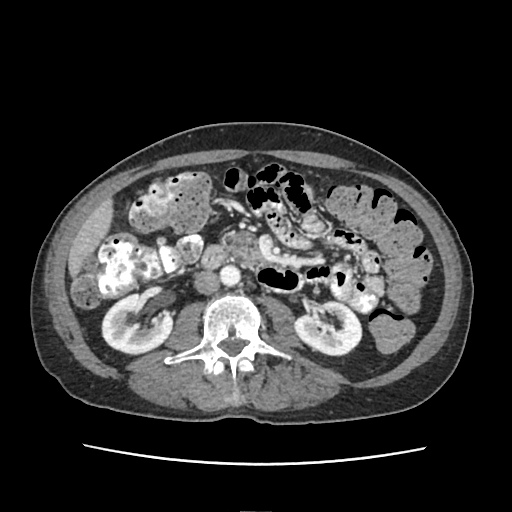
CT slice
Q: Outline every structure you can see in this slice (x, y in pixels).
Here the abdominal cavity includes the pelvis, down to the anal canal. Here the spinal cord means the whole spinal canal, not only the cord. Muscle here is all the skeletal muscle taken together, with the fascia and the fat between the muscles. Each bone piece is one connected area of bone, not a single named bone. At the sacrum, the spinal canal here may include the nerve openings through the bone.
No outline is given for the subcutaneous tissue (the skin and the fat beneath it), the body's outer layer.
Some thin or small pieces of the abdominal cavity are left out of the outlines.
A: The spinal cord is outlined by [[232,356],[237,354],[247,343],[247,341],[245,341],[244,340],[242,340],[241,339],[238,339],[237,338],[236,338],[233,340],[231,340],[229,338],[227,338],[226,339],[221,341],[218,344],[218,346],[224,351],[225,351],[228,354],[229,354]]. The abdominal cavity is outlined by [[351,379],[379,375],[404,359],[441,303],[435,243],[416,212],[387,186],[349,171],[247,155],[150,172],[100,203],[76,233],[66,262],[68,296],[86,342],[106,363],[121,368],[164,348],[187,303],[243,293],[255,302],[270,295],[285,303],[307,356]]. The torso is outlined by [[273,425],[365,419],[405,411],[430,398],[452,375],[465,347],[474,295],[470,258],[435,196],[403,166],[360,141],[292,122],[232,121],[192,127],[116,162],[59,212],[40,245],[31,276],[34,347],[42,367],[62,388],[92,406],[176,421],[235,417]]. The bones are outlined by [[236,406],[240,404],[236,372],[253,371],[257,353],[287,360],[293,357],[259,336],[262,316],[249,297],[226,294],[206,305],[201,341],[163,360],[166,364],[173,364],[201,359],[204,362],[203,373],[215,375],[222,372],[227,364],[232,373],[232,399]], around a hole outlined by [[232,356],[237,354],[247,343],[247,341],[245,341],[244,340],[242,340],[241,339],[238,339],[237,338],[236,338],[233,340],[231,340],[229,338],[227,338],[226,339],[221,341],[218,344],[218,346],[224,351],[225,351],[228,354],[229,354]]. The muscle is outlined by [[195,412],[235,406],[227,365],[215,376],[202,373],[201,360],[173,365],[162,360],[200,341],[205,302],[182,308],[164,349],[121,369],[106,364],[85,342],[67,296],[65,262],[79,226],[100,202],[153,170],[269,154],[367,175],[417,212],[438,248],[444,292],[435,321],[412,352],[379,376],[351,380],[310,360],[295,334],[291,310],[276,298],[261,297],[256,302],[263,316],[260,336],[294,357],[257,354],[253,372],[237,372],[239,406],[263,411],[302,409],[345,387],[388,384],[440,349],[457,313],[462,268],[436,210],[393,176],[334,155],[287,149],[174,155],[119,172],[85,194],[63,218],[47,253],[44,290],[55,330],[78,363],[93,373],[125,384],[150,402]].